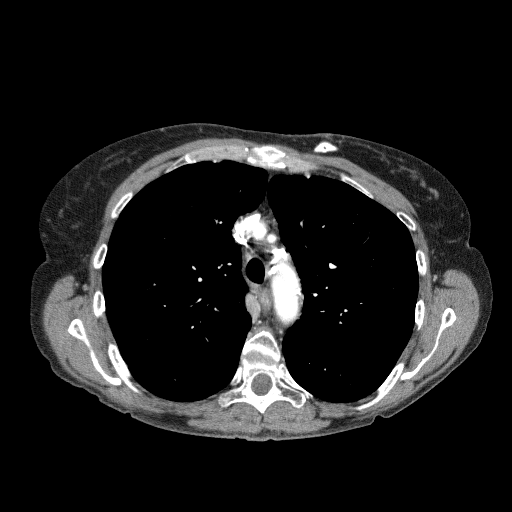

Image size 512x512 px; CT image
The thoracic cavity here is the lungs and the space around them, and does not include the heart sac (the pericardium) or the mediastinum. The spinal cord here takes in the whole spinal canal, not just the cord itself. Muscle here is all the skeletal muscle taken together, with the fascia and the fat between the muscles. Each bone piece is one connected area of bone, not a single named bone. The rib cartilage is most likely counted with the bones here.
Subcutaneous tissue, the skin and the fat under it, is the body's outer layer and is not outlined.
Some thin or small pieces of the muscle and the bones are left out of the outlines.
Outlined structures:
thoracic cavity: 213 160; 265 169; 268 184; 278 174; 338 179; 410 232; 418 274; 414 325; 372 393; 330 402; 290 373; 282 341; 301 317; 304 295; 266 191; 231 228; 251 326; 227 387; 173 401; 133 378; 106 316; 102 268; 112 230; 152 180
muscle: 210 137; 265 144; 225 143; 187 151; 136 193; 131 189; 123 193; 110 211; 115 221; 109 239; 92 255; 93 268; 101 270; 102 290; 94 290; 91 307; 97 318; 106 317; 115 340; 107 343; 106 352; 116 375; 101 366; 80 318; 73 318; 66 328; 86 346; 94 369; 107 383; 124 384; 138 394; 144 391; 139 384; 173 402; 211 396; 221 408; 245 403; 261 415; 276 401; 301 408; 315 397; 334 404; 374 393; 352 407; 359 411; 381 400; 399 380; 413 377; 434 354; 443 331; 457 318; 447 306; 428 353; 409 370; 403 359; 398 361; 426 312; 418 292; 428 261; 425 252; 415 248; 414 219; 403 210; 391 211; 345 172; 340 171; 338 178; 312 173; 319 168; 313 161; 272 143; 344 157; 407 198; 427 242; 431 272; 462 270; 479 294; 478 321; 459 356; 387 410; 361 420; 336 419; 302 433; 197 429; 172 415; 124 407; 68 373; 43 329; 43 305; 54 282; 66 274; 81 286; 87 281; 105 207; 129 174; 156 154
bones 1: 260 330; 267 330; 273 335; 291 376; 299 385; 314 396; 313 398; 308 398; 301 407; 295 407; 286 400; 276 400; 261 414; 252 405; 245 402; 235 402; 226 407; 221 407; 216 397; 212 396; 228 387; 240 363; 242 349; 248 333; inner edge: 259 374; 264 374; 265 375; 267 375; 269 377; 269 378; 270 379; 270 381; 271 382; 271 385; 270 386; 269 389; 265 393; 264 393; 263 394; 258 394; 257 393; 256 393; 252 389; 252 382; 253 381; 254 378; 257 375; 258 375
bones 2: 225 144; 241 144; 248 147; 266 144; 273 145; 288 154; 293 154; 313 162; 318 168; 316 170; 313 170; 311 173; 289 173; 286 169; 266 169; 231 159; 213 159; 187 163; 167 173; 163 173; 163 171; 172 162; 187 152; 204 146
bones 3: 75 318; 81 320; 97 360; 105 372; 111 376; 117 375; 107 352; 108 343; 114 342; 132 376; 131 380; 143 391; 140 393; 135 392; 124 383; 119 385; 111 384; 102 377; 92 363; 87 346; 82 340; 74 337; 67 330; 70 322
bones 4: 447 307; 453 309; 456 318; 442 331; 435 351; 419 370; 410 378; 399 379; 381 399; 372 405; 359 410; 353 409; 354 406; 369 401; 375 396; 374 392; 397 362; 403 360; 405 362; 404 370; 409 371; 429 353; 434 345; 442 313
bones 5: 98 288; 102 291; 102 293; 103 294; 103 297; 104 298; 104 303; 105 304; 105 315; 104 315; 101 317; 97 317; 94 314; 94 313; 93 312; 93 308; 92 307; 92 300; 93 299; 93 295; 94 294; 94 292; 95 291; 95 290
bones 6: 130 190; 131 190; 134 193; 133 196; 131 198; 131 199; 125 205; 123 209; 120 212; 117 218; 116 219; 112 219; 111 218; 111 211; 113 207; 118 201; 120 197; 123 194; 124 194; 126 192
bones 7: 102 242; 105 242; 107 244; 107 250; 106 251; 106 254; 105 255; 105 258; 104 259; 104 261; 103 262; 102 267; 101 269; 99 270; 98 269; 96 269; 94 268; 94 266; 93 265; 93 255; 94 254; 94 252; 95 250
bones 8: 421 297; 424 301; 424 304; 425 305; 425 312; 424 313; 423 321; 422 322; 421 327; 418 330; 416 330; 414 328; 414 326; 415 325; 414 323; 414 316; 415 315; 415 307; 416 306; 416 303; 417 302; 418 298; 420 298
bones 9: 340 172; 343 172; 344 173; 345 173; 347 175; 348 175; 352 178; 353 178; 360 184; 361 184; 374 196; 375 199; 370 198; 367 195; 366 195; 361 191; 358 190; 356 188; 353 187; 348 183; 342 181; 339 178; 339 173
bones 10: 398 210; 400 210; 401 211; 403 211; 405 213; 406 213; 408 215; 409 215; 413 219; 413 220; 415 223; 415 225; 416 226; 416 229; 414 231; 410 231; 408 229; 408 228; 397 217; 397 216; 395 214; 395 212
spinal cord: 259 374; 264 374; 265 375; 267 375; 269 377; 269 378; 270 379; 270 381; 271 382; 271 385; 270 386; 269 389; 265 393; 264 393; 263 394; 258 394; 257 393; 256 393; 252 389; 252 382; 253 381; 254 378; 257 375; 258 375
torso: 188 122; 347 134; 403 150; 440 171; 468 208; 469 243; 481 252; 491 278; 491 314; 478 346; 390 417; 335 434; 280 441; 156 428; 59 378; 38 350; 29 323; 31 279; 45 258; 38 216; 46 196; 70 168; 103 146
mediastinum 1: 266 192; 269 205; 277 222; 281 241; 291 256; 300 280; 303 295; 300 317; 286 330; 281 341; 281 347; 269 330; 250 331; 252 318; 245 304; 245 297; 249 288; 242 273; 241 246; 232 234; 232 228; 238 216; 255 209; 264 199
mediastinum 2: 270 169; 271 169; 272 170; 280 170; 281 171; 284 171; 285 170; 286 170; 286 171; 288 173; 278 173; 277 174; 275 174; 270 179; 270 180; 268 182; 268 183; 267 182; 267 178; 268 177; 268 172; 267 171; 267 170; 269 170